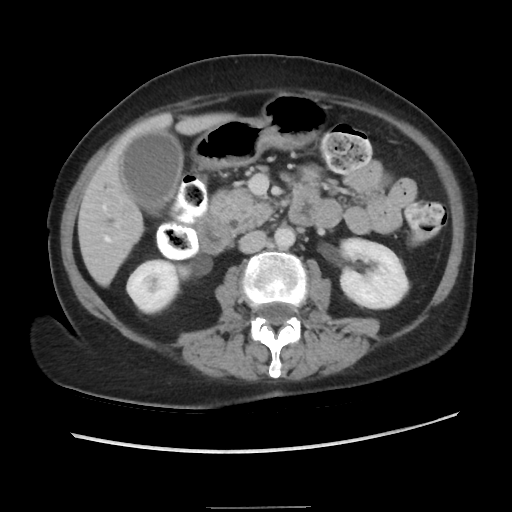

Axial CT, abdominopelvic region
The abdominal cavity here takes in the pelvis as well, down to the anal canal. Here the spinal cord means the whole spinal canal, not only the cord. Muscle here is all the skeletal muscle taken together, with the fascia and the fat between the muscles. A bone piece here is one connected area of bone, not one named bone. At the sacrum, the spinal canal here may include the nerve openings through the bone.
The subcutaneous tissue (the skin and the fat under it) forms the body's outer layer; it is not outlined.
spinal cord: 272,302 286,303 291,305 293,307 293,315 288,318 284,322 284,324 281,326 273,326 272,325 270,325 267,323 267,320 264,317 262,317 257,314 257,311 260,305 262,304 266,304 267,303 271,303
bones: 263,251 294,254 303,263 307,275 306,298 295,314 301,324 301,337 297,342 288,343 281,348 280,375 276,378 270,377 268,373 271,361 270,349 265,344 251,338 250,319 254,313 242,292 240,283 248,259 with a hole at 272,302 286,303 291,305 293,307 293,315 288,318 284,322 284,324 281,326 273,326 272,325 270,325 267,323 267,320 264,317 262,317 257,314 257,311 260,305 262,304 266,304 267,303 271,303
abdominal cavity: 252,94 299,94 366,112 432,162 447,196 451,241 437,287 409,323 382,334 375,317 333,317 332,281 318,262 277,250 231,265 213,291 217,322 172,342 130,327 86,279 74,252 76,217 116,144 149,118
torso: 243,53 301,55 353,68 422,109 455,142 480,197 471,315 462,340 474,342 452,360 387,385 212,409 122,402 52,382 35,364 27,332 37,310 69,325 52,283 46,228 63,163 100,118 149,79 196,60
muscle: 270,87 305,88 354,98 408,122 427,136 450,165 461,190 465,215 462,258 446,298 410,332 337,373 300,380 277,378 281,375 282,348 302,337 296,314 307,298 307,259 314,259 322,276 331,281 327,313 333,318 375,318 378,332 386,335 422,312 440,283 452,241 450,205 438,172 415,141 381,117 299,93 238,95 149,117 115,144 91,177 73,227 75,260 85,279 120,320 162,343 215,325 222,310 214,291 231,266 244,263 239,283 253,313 249,334 269,349 267,373 272,378 216,379 130,340 80,303 61,258 61,216 87,161 140,115 198,95